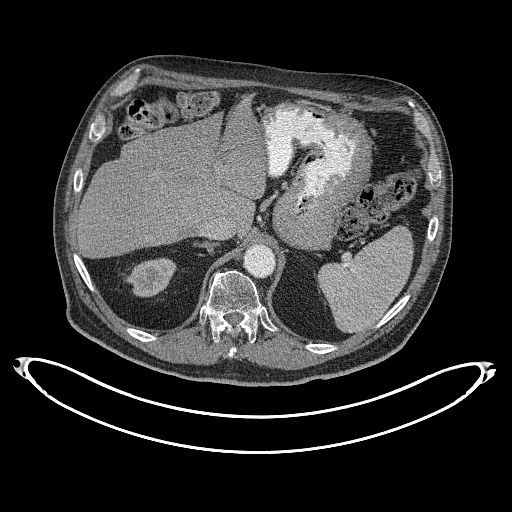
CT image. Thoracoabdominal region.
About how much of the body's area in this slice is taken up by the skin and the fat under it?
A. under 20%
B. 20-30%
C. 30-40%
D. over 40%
Answer: A. under 20%
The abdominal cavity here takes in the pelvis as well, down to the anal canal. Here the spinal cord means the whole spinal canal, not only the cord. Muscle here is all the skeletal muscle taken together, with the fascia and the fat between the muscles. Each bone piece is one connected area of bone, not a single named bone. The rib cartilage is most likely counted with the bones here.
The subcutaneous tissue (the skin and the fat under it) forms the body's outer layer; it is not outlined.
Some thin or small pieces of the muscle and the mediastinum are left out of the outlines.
The mediastinum is outlined by [[269,312],[266,301],[266,292],[271,282],[273,281],[273,278],[275,277],[277,271],[278,253],[273,244],[266,242],[264,240],[254,239],[245,244],[233,258],[217,267],[215,271],[222,271],[226,269],[235,268],[247,274],[256,284],[260,292],[261,300]]. The abdominal cavity is outlined by [[312,342],[369,329],[404,293],[419,264],[431,191],[428,152],[412,116],[259,86],[140,87],[116,109],[112,133],[96,144],[78,203],[80,256],[96,289],[131,326],[189,327],[197,322],[216,267],[251,239],[264,239],[279,253],[267,292],[270,313]]. The muscle is outlined by [[287,370],[301,369],[305,367],[319,364],[335,357],[353,352],[371,343],[384,334],[388,333],[405,316],[416,300],[432,269],[432,266],[436,261],[439,253],[439,247],[443,234],[444,197],[446,189],[445,186],[445,169],[444,168],[441,143],[432,120],[425,109],[418,102],[411,96],[405,94],[399,94],[392,97],[374,97],[369,95],[360,95],[355,93],[342,93],[329,90],[319,90],[296,86],[280,85],[270,83],[267,81],[260,81],[253,79],[202,76],[184,72],[176,72],[173,70],[167,70],[162,67],[148,63],[138,64],[130,68],[124,72],[117,80],[110,85],[100,98],[88,121],[87,127],[84,132],[79,148],[71,166],[67,180],[67,186],[64,199],[65,203],[64,204],[64,237],[63,238],[63,244],[74,280],[75,287],[80,299],[113,332],[138,348],[162,360],[174,363],[189,363],[195,365],[214,364],[229,358],[226,356],[226,354],[230,346],[234,344],[238,349],[235,354],[236,357],[234,358],[236,358],[240,361],[244,361],[252,365],[256,365],[269,369],[280,368]]; inner edges: [[318,354],[335,350],[334,342],[376,329],[394,316],[410,297],[404,292],[419,264],[424,240],[432,242],[435,237],[438,219],[430,215],[430,188],[440,185],[441,169],[429,125],[413,102],[406,101],[413,112],[410,116],[362,111],[259,86],[145,85],[116,109],[114,129],[102,140],[105,117],[99,113],[88,135],[96,144],[88,175],[85,180],[78,167],[73,177],[73,191],[81,194],[77,208],[80,254],[74,252],[73,259],[88,288],[97,289],[131,326],[126,331],[147,342],[156,340],[156,335],[134,326],[185,328],[208,319],[215,342],[222,331],[234,337],[244,331],[252,343],[259,323],[271,331],[279,329],[269,312],[294,335],[308,340],[304,347]], then [[114,97],[119,97],[123,95],[125,93],[134,89],[135,87],[135,85],[137,83],[137,81],[140,76],[140,72],[141,71],[141,69],[140,68],[136,68],[125,79],[124,79],[121,82],[120,82],[114,88],[114,89],[111,93],[111,95]]. The torso is outlined by [[242,386],[293,385],[337,377],[378,363],[403,347],[429,308],[449,257],[453,174],[446,139],[425,99],[413,88],[392,79],[184,54],[142,56],[117,69],[94,94],[70,140],[57,178],[52,231],[66,300],[65,314],[79,333],[137,364],[184,379]]. The spinal cord is outlined by [[233,326],[234,326],[235,325],[236,325],[242,319],[242,318],[243,317],[243,316],[241,314],[240,314],[239,313],[231,313],[230,314],[227,314],[226,315],[225,315],[225,318],[226,319],[226,320],[229,323],[230,323]]. The bones appear in 11 outlined pieces: piece 1: [[252,343],[256,338],[259,323],[271,331],[277,331],[278,327],[270,318],[260,300],[255,284],[247,275],[235,269],[215,272],[206,300],[200,307],[198,322],[203,325],[207,319],[209,320],[212,338],[215,342],[218,341],[222,331],[234,337],[244,331]]; inner edge: [[233,326],[234,326],[235,325],[236,325],[242,319],[242,318],[243,317],[243,316],[241,314],[240,314],[239,313],[231,313],[230,314],[227,314],[226,315],[225,315],[225,318],[226,319],[226,320],[229,323],[230,323]]; piece 2: [[432,188],[438,187],[441,182],[441,169],[439,166],[439,162],[433,144],[433,139],[431,135],[429,125],[426,119],[416,109],[413,102],[408,99],[406,101],[413,112],[413,121],[416,125],[416,127],[428,139],[429,142],[428,176],[430,181],[430,186]]; piece 3: [[114,97],[119,97],[123,95],[125,93],[134,89],[135,87],[135,85],[137,83],[137,81],[140,76],[140,72],[141,71],[141,69],[140,68],[136,68],[125,79],[124,79],[121,82],[120,82],[114,88],[114,89],[111,93],[111,95]]; piece 4: [[94,143],[96,143],[98,141],[99,141],[99,140],[101,139],[102,136],[105,132],[105,128],[106,127],[105,126],[105,117],[102,113],[99,113],[96,116],[95,119],[92,122],[90,126],[90,129],[89,130],[89,134],[88,135],[88,137],[89,139]]; piece 5: [[375,329],[378,328],[380,326],[384,324],[388,320],[389,320],[393,316],[394,316],[405,305],[405,304],[407,302],[407,301],[410,297],[410,294],[409,293],[406,293],[404,294],[390,308],[390,309],[388,310],[388,311],[372,327]]; piece 6: [[92,292],[94,292],[95,291],[95,287],[92,283],[92,281],[90,278],[90,276],[89,275],[81,258],[77,253],[74,252],[73,253],[73,259],[74,260],[75,265],[76,266],[81,277],[83,279],[84,282],[86,284],[86,285],[88,287],[88,288]]; piece 7: [[318,354],[321,354],[322,353],[326,353],[327,352],[330,352],[333,350],[335,350],[338,347],[337,345],[333,343],[329,343],[328,342],[326,343],[312,343],[311,342],[306,343],[304,345],[304,347],[307,350],[311,352],[313,352],[314,353],[317,353]]; piece 8: [[144,342],[156,340],[157,339],[156,335],[152,334],[151,333],[149,333],[148,332],[146,332],[145,331],[143,331],[142,330],[140,330],[139,329],[137,329],[136,328],[134,328],[133,327],[127,327],[126,328],[126,331],[131,336]]; piece 9: [[430,242],[432,242],[432,241],[434,239],[435,237],[435,235],[436,234],[436,232],[437,231],[437,228],[438,227],[438,219],[437,218],[437,216],[436,214],[433,214],[430,217],[428,221],[428,227],[427,228],[427,234],[426,235],[426,238],[427,240]]; piece 10: [[74,193],[80,193],[80,192],[82,189],[82,186],[83,185],[83,182],[84,181],[84,173],[83,172],[83,170],[81,167],[78,167],[76,169],[76,170],[75,171],[75,173],[74,174],[74,176],[73,177],[73,191],[74,192]]; piece 11: [[228,357],[235,357],[235,355],[234,354],[236,352],[236,350],[237,349],[236,348],[236,347],[234,345],[233,345],[232,346],[231,346],[231,347],[230,348],[230,349],[229,350],[229,351],[228,352],[228,353],[227,354],[227,356]].